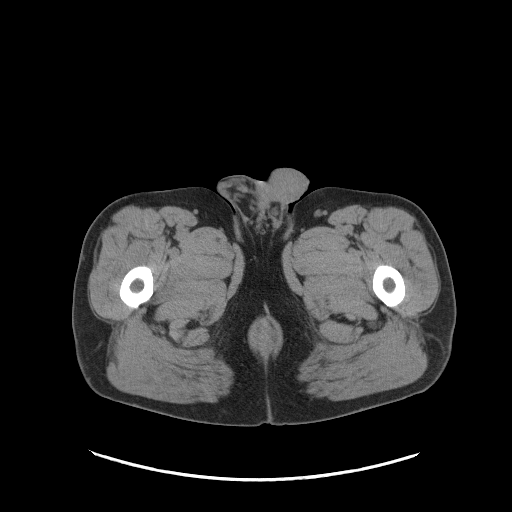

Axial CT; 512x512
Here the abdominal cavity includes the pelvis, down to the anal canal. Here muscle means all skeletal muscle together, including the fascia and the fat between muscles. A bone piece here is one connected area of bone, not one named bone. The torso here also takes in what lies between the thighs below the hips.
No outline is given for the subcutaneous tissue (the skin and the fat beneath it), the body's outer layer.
The left leg is outlined by 325,186 394,193 413,201 426,213 435,227 447,255 455,292 456,322 452,351 448,363 440,377 428,389 399,401 324,421 308,407 298,393 296,370 306,324 281,278 276,259 276,247 285,217 294,204 311,191. The torso is outlined by 276,167 298,169 310,182 301,196 288,204 289,210 277,238 275,259 280,278 305,324 295,370 297,393 323,421 232,426 246,400 235,347 235,319 246,288 246,259 237,213 215,186 220,178 233,174 263,180. The abdominal cavity is outlined by 260,321 269,321 271,322 277,328 277,330 279,333 279,340 277,342 277,345 272,351 270,351 269,353 266,355 264,355 263,353 260,352 258,348 256,347 252,341 252,336 251,335 252,333 252,329 254,326. The bones appear in 2 outlined pieces: piece 1: 138,265 145,265 151,269 152,275 153,276 153,287 154,288 154,290 153,291 152,295 147,301 142,303 137,308 131,308 125,304 120,298 120,296 119,295 119,288 120,287 121,281 124,275 131,268; piece 2: 380,264 387,264 388,265 391,265 393,266 400,272 404,280 404,284 405,285 405,295 401,302 394,307 389,307 387,306 383,302 382,302 376,296 372,288 372,277 373,276 373,274 374,273 374,271 376,267. The right leg is outlined by 187,186 202,186 215,190 231,203 238,219 243,243 245,288 234,319 234,347 245,391 245,400 243,409 231,426 183,420 104,398 92,391 87,385 75,355 71,328 72,293 81,245 89,225 106,205 124,195. The muscle appears in 3 outlined pieces: piece 1: 130,204 186,208 203,224 230,236 243,253 245,265 241,283 217,323 213,342 216,353 234,371 234,382 230,393 216,403 173,403 130,394 114,387 106,377 105,358 110,327 92,313 87,283 100,233 116,211 with a hole at 138,265 145,265 151,269 152,275 153,276 153,287 154,288 154,290 153,291 152,295 147,301 142,303 137,308 131,308 125,304 120,298 120,296 119,295 119,288 120,287 121,281 124,275 131,268; piece 2: 351,204 406,210 417,219 434,250 440,291 433,309 423,317 428,365 422,376 401,387 339,401 311,398 299,389 295,377 299,364 314,348 314,333 302,301 286,282 281,253 300,233 325,224 332,211; inner edge: 380,264 387,264 388,265 391,265 393,266 400,272 404,280 404,284 405,285 405,295 401,302 394,307 389,307 387,306 383,302 382,302 376,296 372,288 372,277 373,276 373,274 374,273 374,271 376,267; piece 3: 265,314 268,314 272,319 275,320 279,324 282,330 282,334 283,335 283,343 282,344 282,346 275,358 269,363 263,362 260,357 257,357 253,353 249,346 248,340 247,339 248,338 248,330 251,324 258,317; inner edge: 260,321 270,321 277,328 277,330 279,333 279,340 277,342 277,345 272,351 270,351 269,353 266,355 264,355 263,353 260,352 258,348 256,347 252,341 252,336 251,335 252,333 252,329 254,326.